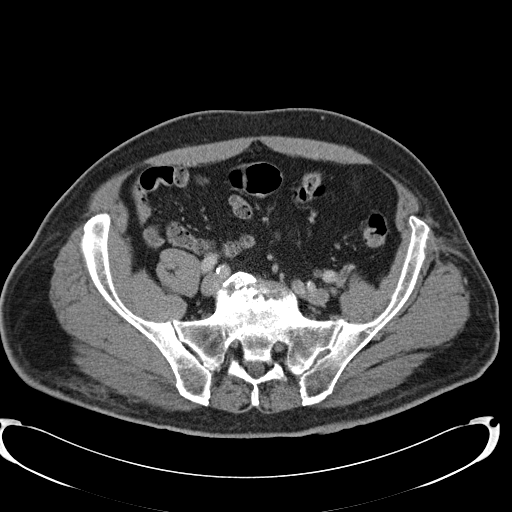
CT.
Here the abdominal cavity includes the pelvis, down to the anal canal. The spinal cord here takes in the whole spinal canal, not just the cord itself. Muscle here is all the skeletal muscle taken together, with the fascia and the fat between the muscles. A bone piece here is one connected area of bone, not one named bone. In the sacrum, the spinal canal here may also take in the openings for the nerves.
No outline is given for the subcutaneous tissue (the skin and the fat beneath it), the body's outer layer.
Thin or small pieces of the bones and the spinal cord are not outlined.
The muscle is outlined by 260 135; 310 138; 345 145; 389 168; 421 195; 466 278; 470 314; 463 328; 454 341; 428 357; 402 383; 344 406; 307 406; 321 402; 332 393; 347 364; 405 304; 426 258; 431 230; 416 215; 408 217; 409 242; 397 281; 381 312; 364 322; 330 318; 340 312; 344 288; 335 282; 344 265; 351 264; 375 287; 389 271; 402 239; 395 221; 396 187; 371 164; 288 155; 254 140; 243 151; 218 161; 144 164; 121 183; 118 195; 128 212; 134 263; 159 285; 156 267; 162 250; 179 249; 199 262; 196 293; 181 296; 186 303; 182 319; 146 319; 134 313; 120 298; 110 267; 111 216; 108 212; 97 212; 85 221; 78 245; 97 291; 118 315; 155 345; 167 361; 182 397; 207 407; 213 372; 227 363; 228 375; 251 385; 252 407; 260 404; 259 385; 285 380; 286 371; 299 377; 302 406; 275 413; 262 413; 254 407; 241 413; 212 407; 171 411; 102 387; 72 361; 70 336; 60 326; 48 297; 52 264; 91 193; 112 175; 162 152. The torso is outlined by 285 107; 327 109; 362 121; 404 145; 435 178; 497 299; 499 343; 483 373; 474 381; 371 423; 323 435; 267 438; 211 438; 158 429; 66 403; 25 383; 10 363; 0 336; 0 294; 42 220; 74 181; 114 147; 170 118; 209 109. The abdominal cavity is outlined by 254 141; 371 165; 395 187; 401 239; 388 271; 375 286; 344 264; 334 282; 339 312; 327 319; 304 315; 293 291; 240 269; 215 291; 211 314; 183 319; 199 260; 162 249; 159 284; 135 263; 119 195; 126 178; 148 164; 222 161. The bones are outlined by 101 212; 115 290; 155 322; 211 315; 240 270; 293 292; 308 318; 368 322; 398 281; 409 217; 430 230; 410 295; 324 399; 303 406; 286 370; 258 385; 252 406; 252 385; 225 362; 204 406; 179 393; 160 350; 94 285; 79 243; inner edges: 249 362; 261 362; 262 363; 264 363; 266 365; 267 368; 266 369; 265 372; 263 374; 260 375; 258 377; 253 377; 248 373; 248 372; 247 371; 247 370; 245 367; 245 365; 247 363; 248 363, then 276 344; 277 344; 278 344; 279 344; 280 344; 281 344; 282 345; 283 346; 283 347; 282 348; 281 349; 280 350; 279 351; 278 351; 277 350; 276 349; 275 348; 274 347; 274 346; 275 345. The spinal cord is outlined by 249 362; 261 362; 262 363; 264 363; 266 365; 267 368; 266 369; 265 372; 263 374; 260 375; 258 377; 253 377; 248 373; 248 372; 247 371; 247 370; 245 367; 245 365; 247 363; 248 363.